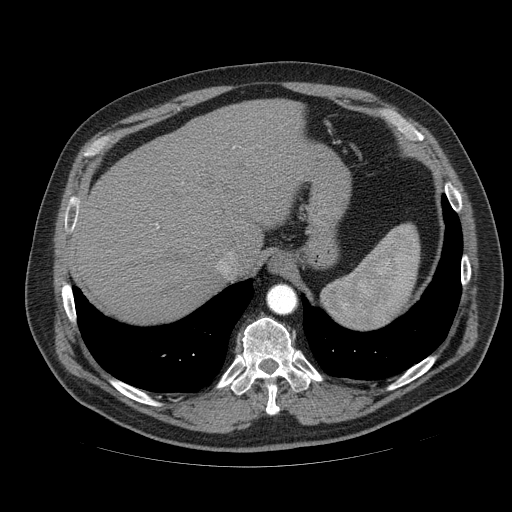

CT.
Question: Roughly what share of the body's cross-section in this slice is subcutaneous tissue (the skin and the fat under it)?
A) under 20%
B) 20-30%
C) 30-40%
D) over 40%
Answer: A) under 20%
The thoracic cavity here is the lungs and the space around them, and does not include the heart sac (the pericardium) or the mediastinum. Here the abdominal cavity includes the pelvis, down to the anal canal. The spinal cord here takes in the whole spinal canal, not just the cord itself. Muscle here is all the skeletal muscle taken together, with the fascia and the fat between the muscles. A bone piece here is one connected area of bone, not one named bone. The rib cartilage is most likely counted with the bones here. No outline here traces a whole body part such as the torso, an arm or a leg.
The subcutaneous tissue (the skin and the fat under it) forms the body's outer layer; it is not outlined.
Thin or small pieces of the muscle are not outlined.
The muscle is outlined by (252, 81) (314, 82) (362, 89) (395, 105) (405, 116) (431, 132) (457, 173) (473, 211) (479, 264) (476, 281) (478, 337) (474, 346) (457, 361) (363, 416) (304, 425) (275, 415) (280, 411) (276, 403) (278, 378) (285, 379) (298, 393) (307, 390) (312, 381) (323, 382) (324, 374) (358, 384) (381, 383) (398, 376) (384, 387) (389, 392) (412, 382) (434, 365) (439, 355) (433, 352) (448, 334) (462, 289) (472, 275) (469, 256) (463, 251) (458, 215) (463, 207) (462, 194) (450, 180) (444, 182) (417, 143) (422, 142) (425, 135) (392, 108) (381, 106) (375, 114) (367, 113) (327, 97) (275, 84) (226, 91) (120, 137) (95, 164) (83, 199) (72, 194) (63, 213) (63, 228) (70, 234) (71, 282) (61, 281) (62, 305) (93, 358) (111, 375) (107, 381) (116, 390) (138, 403) (162, 407) (164, 403) (148, 393) (160, 396) (191, 394) (215, 381) (214, 389) (229, 386) (240, 396) (255, 380) (263, 380) (267, 390) (264, 411) (268, 416) (244, 429) (210, 433) (187, 429) (140, 412) (66, 370) (54, 347) (56, 304) (52, 238) (72, 163) (81, 146) (92, 136) (133, 113) (192, 90) with a hole at (107, 133) (117, 133) (117, 134) (115, 137) (114, 137) (113, 139) (112, 139) (111, 141) (110, 141) (103, 148) (102, 151) (99, 154) (93, 157) (85, 157) (83, 156) (82, 154) (83, 152) (88, 147) (88, 146) (92, 143) (93, 141) (99, 138) (104, 134) (106, 134). The mediastinum is outlined by (262, 268) (265, 268) (267, 271) (291, 282) (300, 292) (300, 300) (302, 305) (301, 327) (303, 335) (296, 339) (294, 339) (292, 333) (283, 323) (267, 315) (260, 316) (252, 320) (242, 329) (239, 329) (233, 333) (236, 324) (254, 295) (255, 291) (253, 277) (258, 274). The thoracic cavity appears in 2 outlined pieces: piece 1: (248, 279) (253, 280) (253, 295) (232, 331) (234, 334) (242, 330) (239, 337) (240, 347) (218, 378) (195, 392) (160, 395) (146, 392) (113, 376) (94, 358) (78, 327) (72, 284) (79, 288) (89, 303) (104, 316) (130, 326) (154, 327) (181, 320) (228, 286); piece 2: (443, 192) (458, 216) (462, 233) (461, 293) (444, 339) (424, 358) (399, 375) (381, 382) (358, 383) (333, 377) (319, 370) (303, 351) (294, 345) (294, 340) (304, 335) (301, 294) (336, 324) (356, 332) (378, 330) (405, 314) (418, 301) (432, 279) (441, 256) (445, 230). The bones appear in 9 outlined pieces: piece 1: (264, 316) (283, 324) (293, 337) (293, 345) (324, 375) (323, 381) (312, 380) (307, 389) (298, 392) (285, 378) (278, 377) (275, 403) (279, 411) (274, 415) (265, 411) (268, 390) (263, 379) (255, 379) (240, 395) (235, 394) (229, 385) (214, 388) (241, 347) (243, 329); inner edge: (266, 359) (272, 359) (274, 361) (275, 361) (277, 363) (277, 367) (271, 373) (268, 373) (267, 372) (266, 372) (265, 371) (264, 371) (261, 368) (260, 368) (260, 367) (259, 366) (259, 365) (260, 364) (260, 363) (263, 360) (265, 360); piece 2: (381, 107) (389, 108) (398, 112) (424, 135) (424, 139) (422, 141) (412, 141) (404, 137) (404, 136) (402, 135) (402, 134) (400, 133) (398, 131) (398, 130) (396, 129) (396, 128) (391, 123) (390, 123) (382, 117) (378, 115) (376, 115) (377, 113) (377, 109); piece 3: (432, 353) (437, 354) (438, 355) (438, 357) (433, 365) (427, 371) (412, 381) (400, 387) (398, 387) (395, 389) (393, 389) (389, 391) (385, 390) (385, 387) (389, 383) (395, 380) (401, 374) (402, 374) (410, 367) (418, 363); piece 4: (112, 376) (135, 388) (137, 388) (142, 391) (144, 391) (146, 393) (150, 395) (153, 398) (162, 402) (163, 403) (163, 405) (162, 406) (152, 406) (148, 404) (144, 404) (143, 403) (138, 402) (124, 395) (117, 389) (116, 389) (108, 381) (108, 379); piece 5: (63, 280) (71, 283) (71, 289) (72, 290) (72, 294) (73, 295) (73, 301) (75, 306) (75, 312) (76, 313) (76, 317) (77, 318) (77, 326) (76, 327) (73, 325) (73, 324) (68, 318) (63, 305) (63, 300) (61, 296) (61, 287) (62, 286) (62, 281); piece 6: (72, 195) (77, 195) (80, 199) (80, 203) (79, 204) (79, 211) (77, 214) (77, 219) (75, 222) (75, 225) (73, 228) (73, 230) (70, 233) (68, 233) (65, 231) (65, 229) (64, 228) (64, 213) (65, 212) (65, 209) (66, 208) (66, 206) (68, 203) (68, 200); piece 7: (107, 133) (117, 133) (117, 134) (115, 137) (114, 137) (113, 139) (112, 139) (111, 141) (110, 141) (103, 148) (102, 151) (99, 154) (93, 157) (85, 157) (83, 156) (82, 154) (83, 152) (88, 147) (88, 146) (92, 143) (93, 141) (99, 138) (104, 134) (106, 134); piece 8: (446, 181) (450, 181) (452, 183) (452, 184) (454, 186) (455, 186) (458, 189) (458, 190) (460, 192) (460, 193) (461, 194) (461, 200) (462, 201) (462, 207) (461, 208) (461, 210) (458, 213) (457, 213) (452, 208) (452, 207) (448, 200) (448, 198) (444, 191) (444, 183); piece 9: (463, 252) (465, 252) (467, 254) (468, 256) (468, 258) (469, 259) (469, 261) (470, 262) (470, 266) (471, 267) (471, 275) (470, 276) (470, 279) (467, 283) (467, 284) (465, 286) (465, 288) (464, 289) (462, 288) (462, 285) (461, 284) (461, 259) (462, 258) (462, 254). The abdominal cavity is outlined by (258, 85) (281, 86) (378, 116) (421, 147) (443, 181) (444, 230) (439, 259) (417, 301) (383, 327) (356, 331) (312, 305) (291, 281) (262, 267) (252, 278) (228, 285) (171, 323) (136, 326) (104, 315) (70, 278) (71, 233) (96, 164) (116, 141) (132, 132) (226, 92). The spinal cord is outlined by (266, 359) (272, 359) (274, 361) (275, 361) (277, 363) (277, 367) (271, 373) (268, 373) (267, 372) (266, 372) (265, 371) (264, 371) (261, 368) (260, 368) (260, 367) (259, 366) (259, 365) (260, 364) (260, 363) (263, 360) (265, 360).